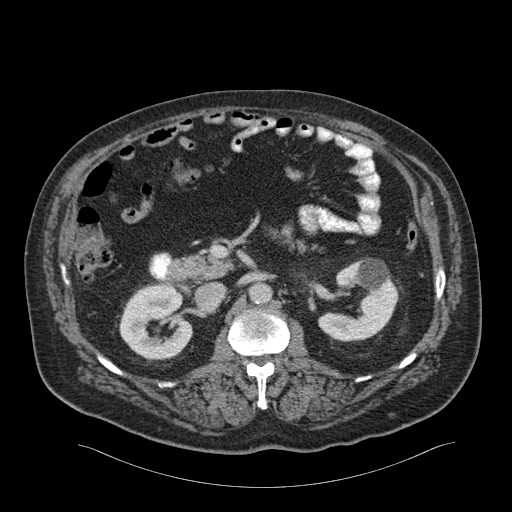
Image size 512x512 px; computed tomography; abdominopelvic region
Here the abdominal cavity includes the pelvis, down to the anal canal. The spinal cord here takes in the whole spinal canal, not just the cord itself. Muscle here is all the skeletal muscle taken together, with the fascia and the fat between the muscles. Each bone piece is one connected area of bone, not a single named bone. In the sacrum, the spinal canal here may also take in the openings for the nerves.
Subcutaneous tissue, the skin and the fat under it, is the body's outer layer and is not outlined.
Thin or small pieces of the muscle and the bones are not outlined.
{"spinal_cord":[[[264,354],[269,354],[272,356],[271,357],[271,360],[270,360],[269,361],[268,361],[267,362],[266,362],[263,365],[258,365],[257,364],[256,364],[254,362],[253,362],[250,359],[250,357],[251,357],[252,356],[260,356],[261,355],[263,355]]],"torso":[[[228,89],[301,89],[350,100],[413,129],[449,164],[474,228],[482,328],[469,376],[453,399],[432,416],[384,436],[317,452],[265,449],[225,455],[130,433],[70,407],[42,381],[32,349],[23,255],[34,204],[48,174],[76,141],[100,125],[161,101]]],"muscle":[[[225,105],[304,109],[357,122],[440,178],[460,234],[463,290],[438,348],[438,372],[366,413],[320,429],[303,430],[267,409],[267,379],[290,342],[289,318],[301,325],[311,358],[364,382],[416,359],[412,350],[431,324],[435,298],[438,302],[444,295],[446,273],[442,265],[433,273],[410,183],[371,145],[275,111],[226,109],[158,127],[93,166],[76,197],[67,268],[62,261],[58,267],[63,284],[71,286],[80,331],[110,372],[124,377],[125,371],[156,379],[161,389],[173,388],[178,384],[173,380],[210,361],[214,341],[227,326],[227,342],[255,378],[261,410],[240,428],[208,435],[77,380],[80,360],[54,319],[42,266],[52,193],[75,162],[124,134],[168,116]]],"abdominal_cavity":[[[226,110],[275,112],[336,130],[371,146],[405,177],[428,242],[435,294],[427,330],[399,362],[363,375],[344,373],[309,355],[297,319],[267,307],[236,314],[215,337],[209,361],[172,380],[121,369],[82,333],[67,269],[77,197],[87,175],[158,128]]],"bones":[{"outer":[[252,308],[267,308],[277,312],[287,322],[289,329],[289,342],[278,355],[279,364],[274,372],[266,379],[266,409],[261,409],[257,405],[258,387],[256,378],[247,374],[245,367],[242,364],[242,357],[232,348],[227,340],[228,330],[234,317],[243,310]],"hole":[[264,354],[269,354],[272,356],[271,357],[271,360],[270,360],[269,361],[268,361],[267,362],[266,362],[263,365],[258,365],[257,364],[256,364],[254,362],[253,362],[250,359],[250,357],[251,357],[252,356],[260,356],[261,355],[263,355]]},[[439,266],[442,266],[444,269],[444,272],[445,273],[445,287],[444,288],[444,292],[443,293],[443,295],[441,297],[441,298],[438,301],[436,301],[436,298],[435,297],[435,295],[436,294],[435,293],[435,285],[434,284],[434,276],[435,275],[435,272]],[[96,351],[98,351],[104,356],[105,356],[108,359],[109,359],[116,366],[117,366],[121,370],[122,370],[125,375],[124,376],[120,376],[115,373],[113,373],[107,368],[106,368],[97,359],[97,358],[96,357],[96,355],[95,354]],[[412,351],[414,351],[417,354],[417,355],[416,356],[416,357],[415,358],[415,359],[411,363],[410,363],[405,367],[404,367],[403,368],[401,368],[400,369],[396,369],[395,368],[395,367],[400,362],[400,361],[403,358],[404,358],[409,353],[410,353]],[[61,262],[62,262],[64,264],[64,267],[65,268],[66,268],[66,271],[67,272],[67,274],[66,275],[70,281],[70,285],[69,286],[66,286],[64,284],[64,283],[63,282],[63,281],[61,278],[61,274],[60,273],[60,268],[59,267],[59,264]]]}